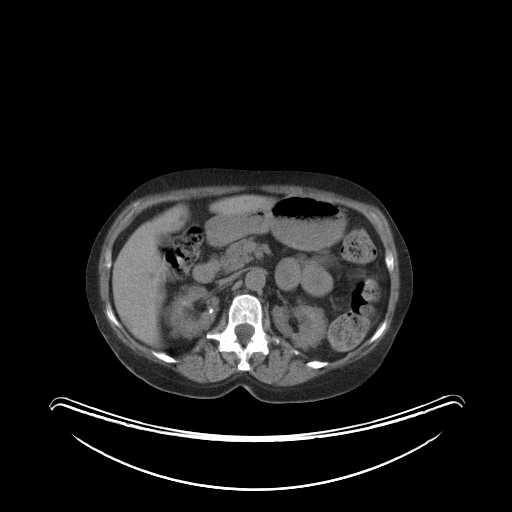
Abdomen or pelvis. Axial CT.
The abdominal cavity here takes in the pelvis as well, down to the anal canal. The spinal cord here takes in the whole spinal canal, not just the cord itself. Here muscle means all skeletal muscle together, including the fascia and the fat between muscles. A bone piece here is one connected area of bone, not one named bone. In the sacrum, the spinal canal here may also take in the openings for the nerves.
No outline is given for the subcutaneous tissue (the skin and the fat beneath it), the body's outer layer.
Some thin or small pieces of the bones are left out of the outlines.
{"bones":[{"outer":[[245,293],[255,296],[261,304],[263,330],[271,337],[279,339],[279,343],[268,343],[267,354],[254,352],[248,359],[250,369],[247,371],[237,368],[240,360],[233,351],[219,351],[219,342],[206,337],[207,333],[221,332],[226,327],[232,299]],"hole":[[240,324],[248,324],[249,325],[250,325],[253,327],[253,333],[250,336],[250,337],[249,338],[249,339],[245,343],[242,343],[239,341],[239,340],[238,339],[238,337],[237,336],[237,335],[235,332],[235,328],[236,327],[236,326],[237,326]]},[[152,350],[155,350],[156,351],[159,351],[160,352],[164,352],[166,354],[167,354],[168,355],[175,358],[177,360],[177,361],[174,363],[171,363],[170,362],[166,362],[165,361],[158,358],[156,356],[155,356],[151,352],[151,351]],[[107,303],[109,303],[111,305],[111,307],[112,308],[112,310],[113,311],[113,313],[114,314],[114,315],[115,316],[115,317],[117,319],[117,320],[121,325],[121,326],[120,327],[118,327],[116,325],[115,325],[108,318],[108,317],[106,315],[106,304]],[[384,319],[386,319],[387,320],[387,325],[386,326],[386,327],[385,328],[384,331],[375,340],[374,340],[372,342],[369,342],[369,339],[372,336],[372,335],[376,331],[376,330],[379,327],[379,326],[381,324],[381,323],[383,321],[383,320]],[[388,250],[389,250],[391,252],[391,253],[392,254],[392,256],[393,257],[393,270],[391,272],[389,272],[389,271],[388,270],[388,269],[387,268],[387,267],[386,266],[386,263],[385,262],[385,255],[386,254],[386,252]],[[312,360],[320,360],[321,361],[327,361],[328,362],[328,364],[327,365],[326,365],[325,366],[323,366],[322,367],[320,367],[319,368],[312,368],[311,367],[309,367],[308,366],[307,366],[306,365],[306,363],[308,361],[311,361]],[[108,247],[109,247],[110,248],[110,251],[111,252],[111,266],[110,267],[110,268],[107,268],[105,266],[105,254],[106,253],[106,250],[108,248]]],"abdominal_cavity":[[[247,190],[324,198],[356,210],[372,223],[385,252],[389,297],[382,321],[359,346],[333,360],[310,360],[276,335],[260,300],[247,292],[236,294],[216,325],[189,351],[176,357],[140,343],[120,323],[110,301],[112,253],[120,234],[134,218],[166,202]]],"torso":[[[198,167],[329,173],[362,185],[383,203],[407,246],[413,271],[413,293],[384,362],[364,384],[311,402],[264,402],[243,387],[218,398],[199,399],[156,389],[133,375],[116,358],[98,330],[86,298],[85,270],[93,241],[114,209],[139,184],[162,173]]],"spinal_cord":[[[240,324],[248,324],[249,325],[250,325],[253,327],[253,333],[250,336],[250,337],[249,338],[249,339],[245,343],[242,343],[239,341],[239,340],[238,339],[238,337],[237,336],[237,335],[235,332],[235,328],[236,327],[236,326],[237,326]]],"muscle":[{"outer":[[232,185],[236,185],[237,186],[295,185],[296,186],[309,187],[310,188],[315,188],[319,190],[332,192],[341,195],[344,197],[347,197],[354,200],[357,200],[358,201],[375,205],[379,208],[385,216],[392,232],[392,235],[397,252],[397,257],[398,258],[398,267],[399,268],[400,284],[399,285],[398,300],[396,303],[394,315],[392,319],[390,328],[385,334],[379,344],[373,350],[363,357],[356,360],[354,362],[349,363],[341,368],[332,369],[324,374],[319,375],[303,383],[300,383],[291,386],[274,386],[270,384],[267,384],[259,381],[247,373],[243,373],[238,375],[235,375],[234,374],[225,379],[223,379],[217,382],[213,382],[212,383],[198,383],[184,377],[176,371],[174,371],[165,366],[151,361],[142,356],[140,356],[134,353],[129,347],[124,344],[117,337],[110,327],[103,311],[102,301],[99,293],[98,264],[99,263],[100,254],[105,237],[110,227],[118,215],[122,210],[132,201],[150,194],[163,193],[172,190],[183,189],[184,188],[193,188],[194,187],[203,187],[204,186],[231,186]],"holes":[[[247,190],[324,198],[372,223],[393,257],[387,325],[375,340],[312,368],[278,336],[279,343],[270,341],[267,354],[254,352],[243,371],[233,351],[219,351],[219,342],[204,335],[176,362],[166,362],[108,318],[106,250],[113,252],[137,215],[166,202]],[[372,213],[374,213],[377,216],[377,217],[379,219],[379,220],[380,221],[380,222],[381,223],[381,224],[380,225],[379,225],[378,224],[378,223],[376,221],[376,220],[372,216]]]},[[265,310],[268,314],[268,317],[269,318],[269,321],[270,322],[270,327],[273,331],[273,332],[275,334],[275,335],[276,336],[277,336],[271,336],[269,334],[268,334],[264,330],[264,329],[263,328],[263,316],[264,315],[264,312],[265,311]],[[226,312],[227,313],[227,319],[226,320],[226,325],[225,326],[225,327],[221,331],[217,331],[216,332],[210,332],[211,331],[211,330],[213,328],[214,328],[217,325],[217,324],[219,322],[219,321],[220,320],[221,317],[223,315],[223,314]]]}